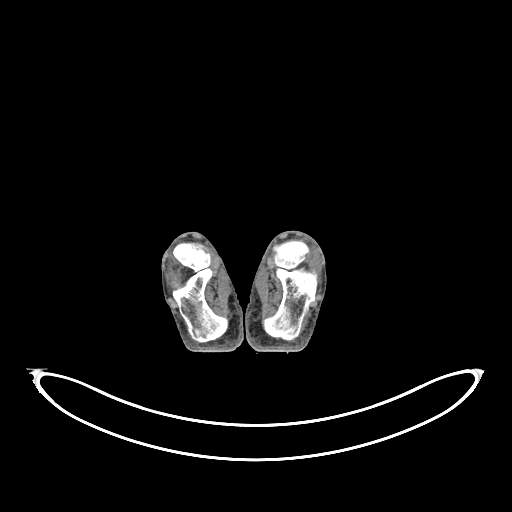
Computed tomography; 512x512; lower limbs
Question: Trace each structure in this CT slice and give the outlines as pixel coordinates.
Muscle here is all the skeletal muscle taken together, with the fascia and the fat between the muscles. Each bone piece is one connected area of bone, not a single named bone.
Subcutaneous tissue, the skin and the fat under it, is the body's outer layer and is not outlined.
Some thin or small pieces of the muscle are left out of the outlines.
Answer: Outlines:
right leg: (186, 231) (198, 231) (205, 235) (212, 242) (223, 259) (227, 271) (235, 287) (243, 311) (244, 339) (241, 344) (235, 349) (234, 352) (231, 353) (188, 352) (188, 350) (184, 346) (179, 336) (170, 309) (164, 300) (160, 275) (160, 264) (162, 254) (170, 242) (176, 236)
bones 1: (289, 239) (300, 239) (308, 245) (309, 252) (306, 255) (304, 264) (308, 270) (315, 271) (318, 283) (315, 300) (310, 303) (302, 320) (300, 333) (292, 340) (284, 340) (268, 335) (262, 327) (262, 320) (275, 313) (283, 294) (281, 282) (275, 272) (276, 265) (272, 246)
bones 2: (181, 242) (201, 243) (210, 254) (209, 267) (212, 271) (212, 276) (205, 286) (205, 300) (216, 314) (226, 317) (229, 322) (227, 330) (214, 340) (198, 342) (191, 338) (187, 331) (186, 323) (172, 295) (175, 283) (178, 280) (183, 280) (190, 272) (173, 255) (175, 245)
muscle 1: (283, 236) (288, 238) (294, 236) (307, 238) (317, 248) (322, 263) (321, 297) (312, 310) (308, 323) (302, 332) (302, 338) (296, 342) (290, 342) (288, 345) (281, 345) (276, 340) (270, 340) (267, 337) (263, 336) (258, 323) (255, 320) (261, 309) (261, 303) (257, 291) (257, 280) (262, 267) (266, 263) (269, 251) (271, 247) (273, 252) (273, 262) (275, 265) (274, 272) (280, 282) (282, 294) (279, 304) (274, 313) (264, 317) (261, 320) (261, 327) (268, 336) (284, 341) (292, 341) (299, 336) (301, 333) (303, 320) (310, 308) (311, 303) (316, 300) (316, 292) (319, 279) (316, 271) (313, 269) (308, 269) (305, 264) (307, 255) (310, 252) (309, 245) (300, 238) (289, 238) (274, 243) (276, 241) (280, 241)
muscle 2: (180, 240) (197, 240) (206, 243) (216, 255) (229, 285) (231, 298) (228, 308) (232, 314) (232, 318) (230, 321) (230, 329) (228, 332) (227, 339) (219, 343) (219, 345) (197, 345) (192, 340) (198, 343) (207, 343) (214, 341) (220, 338) (229, 328) (229, 319) (224, 315) (216, 313) (207, 302) (205, 296) (206, 286) (213, 276) (213, 271) (210, 267) (211, 254) (209, 251) (205, 249) (205, 246) (201, 242) (178, 242)
muscle 3: (172, 247) (173, 247) (172, 249) (173, 257) (183, 268) (189, 272) (183, 279) (178, 279) (174, 283) (174, 287) (171, 290) (171, 295) (176, 303) (178, 309) (178, 312) (183, 319) (185, 323) (186, 330) (183, 322) (179, 317) (178, 314) (178, 310) (174, 308) (171, 305) (168, 299) (169, 294) (165, 283) (167, 255)
left leg: (291, 229) (306, 232) (311, 235) (319, 243) (325, 256) (326, 262) (327, 286) (325, 296) (320, 308) (313, 334) (308, 344) (303, 349) (302, 352) (254, 353) (253, 351) (254, 350) (245, 339) (244, 334) (244, 311) (249, 299) (251, 283) (258, 263) (269, 241) (279, 232)